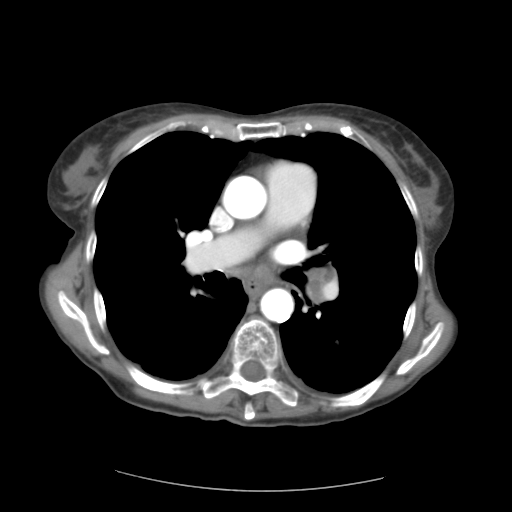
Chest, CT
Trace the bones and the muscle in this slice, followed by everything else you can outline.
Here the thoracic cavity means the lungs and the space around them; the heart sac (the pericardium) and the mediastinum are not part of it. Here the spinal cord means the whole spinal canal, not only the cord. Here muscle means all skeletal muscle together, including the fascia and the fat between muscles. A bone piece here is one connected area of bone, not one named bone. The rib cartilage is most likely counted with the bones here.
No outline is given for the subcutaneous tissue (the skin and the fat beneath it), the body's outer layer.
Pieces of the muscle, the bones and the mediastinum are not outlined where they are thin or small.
The bones appear in 10 outlined pieces: piece 1: [[252,318],[265,321],[279,338],[285,363],[283,377],[299,391],[294,406],[269,391],[249,396],[229,388],[210,398],[199,389],[190,395],[154,391],[136,383],[126,368],[129,362],[171,382],[226,374],[230,368],[222,358],[230,349],[234,331],[238,324]] with a hole at [[250,360],[256,360],[258,361],[259,363],[262,366],[264,370],[264,376],[261,379],[259,379],[255,381],[252,381],[251,380],[248,380],[246,379],[241,374],[241,368],[243,364],[247,361],[249,361]]; piece 2: [[180,119],[196,120],[201,124],[214,121],[233,125],[242,122],[278,121],[284,124],[294,121],[335,121],[356,130],[372,151],[340,133],[325,130],[309,131],[303,136],[291,134],[233,141],[210,137],[196,126],[187,125],[165,132],[125,155],[147,134]]; piece 3: [[383,371],[386,371],[386,376],[383,382],[377,389],[377,390],[365,402],[362,404],[360,405],[350,405],[349,406],[337,406],[336,407],[334,407],[330,405],[330,401],[327,398],[327,397],[342,395],[343,394],[346,394],[352,391],[354,391],[372,381]]; piece 4: [[61,290],[64,292],[70,300],[77,305],[84,312],[88,320],[90,329],[94,338],[100,344],[104,345],[108,349],[109,351],[108,354],[100,353],[90,343],[84,331],[83,326],[77,320],[68,316],[63,311],[60,306],[57,296],[58,292]]; piece 5: [[438,322],[442,322],[443,323],[443,330],[438,341],[433,348],[427,355],[418,360],[407,372],[404,374],[399,374],[398,375],[396,374],[396,370],[397,368],[405,360],[409,358],[411,358],[417,353],[421,345],[421,342],[423,338],[430,333],[435,325]]; piece 6: [[95,286],[97,287],[97,288],[101,293],[101,295],[103,299],[104,307],[105,308],[105,315],[106,316],[106,329],[104,332],[103,332],[100,328],[100,326],[98,323],[98,321],[96,317],[95,309],[94,308],[94,303],[93,302],[93,290]]; piece 7: [[397,181],[401,181],[403,182],[406,185],[409,191],[411,193],[412,195],[412,197],[415,202],[415,204],[417,208],[417,211],[418,212],[418,217],[417,219],[414,219],[413,218],[410,212],[410,210],[403,197],[403,195],[400,190],[400,188],[397,183]]; piece 8: [[414,300],[416,304],[416,308],[415,309],[415,318],[413,322],[413,325],[411,328],[411,330],[408,336],[405,340],[403,340],[403,331],[402,330],[402,328],[403,327],[403,323],[404,322],[404,319],[405,318],[407,310],[410,304],[412,302],[412,301]]; piece 9: [[94,228],[95,229],[95,232],[96,233],[96,244],[95,245],[95,251],[94,252],[94,255],[93,256],[93,260],[92,262],[88,263],[86,261],[86,258],[85,257],[85,249],[86,248],[86,243],[87,242],[87,239],[88,238],[88,236],[91,230]]; piece 10: [[105,176],[108,176],[108,180],[105,186],[105,188],[103,191],[103,193],[97,205],[95,207],[93,207],[92,208],[90,206],[90,203],[92,199],[92,196],[98,184],[100,182],[102,178]]. The muscle is outlined by [[182,113],[212,113],[229,117],[249,118],[258,120],[275,116],[282,116],[287,114],[329,115],[345,119],[375,138],[392,155],[398,165],[411,182],[413,190],[415,193],[415,196],[417,199],[417,202],[421,210],[424,221],[424,232],[427,237],[426,242],[427,245],[427,250],[426,251],[427,269],[430,274],[433,290],[437,299],[451,314],[454,321],[453,335],[449,344],[444,351],[430,365],[397,391],[385,397],[362,405],[358,408],[337,413],[326,413],[325,414],[317,414],[316,413],[311,415],[304,415],[297,417],[253,419],[255,417],[256,413],[254,410],[252,402],[250,400],[247,400],[245,402],[243,408],[243,418],[245,420],[226,413],[207,413],[196,410],[185,409],[170,404],[142,398],[133,393],[121,380],[98,366],[83,354],[62,333],[47,306],[44,296],[44,282],[47,273],[50,269],[59,264],[74,248],[79,240],[82,238],[86,220],[86,217],[82,214],[83,209],[87,205],[89,196],[94,185],[95,178],[107,166],[110,155],[114,147],[122,139],[135,129],[152,122],[155,122],[161,119]]; inner edges: [[180,119],[349,125],[395,181],[408,188],[422,252],[415,318],[384,367],[383,382],[362,404],[331,406],[327,397],[337,394],[313,389],[287,370],[283,377],[299,391],[294,406],[269,391],[249,396],[229,388],[210,398],[199,389],[190,395],[163,393],[139,385],[129,374],[127,362],[139,366],[120,350],[107,325],[102,331],[95,313],[93,263],[85,257],[97,208],[90,203],[102,178],[110,177],[128,150]], then [[61,290],[64,292],[70,300],[77,305],[84,312],[88,320],[90,329],[94,338],[100,344],[104,345],[108,349],[109,351],[108,354],[100,353],[90,343],[84,331],[83,326],[77,320],[68,316],[63,311],[60,306],[57,296],[58,292]], then [[438,322],[442,322],[443,323],[443,330],[438,341],[433,348],[427,355],[418,360],[407,372],[404,374],[399,374],[398,375],[396,374],[396,370],[397,368],[405,360],[409,358],[411,358],[417,353],[421,345],[421,342],[423,338],[430,333],[435,325]]. The torso is outlined by [[164,101],[245,114],[338,102],[411,128],[454,186],[451,227],[435,255],[439,290],[459,320],[445,359],[393,401],[321,428],[246,430],[226,420],[148,413],[118,398],[59,339],[39,303],[38,278],[73,234],[49,208],[46,180],[82,130],[118,111]]. The mediastinum appears in 2 outlined pieces: piece 1: [[208,222],[223,246],[274,262],[295,262],[303,256],[307,252],[309,227],[307,254],[287,272],[295,287],[291,291],[295,307],[280,324],[279,337],[262,318],[239,323],[248,303],[241,281],[235,277],[227,281],[222,272],[212,269],[202,258],[202,232]]; piece 2: [[249,150],[253,152],[263,152],[270,156],[277,157],[268,157],[257,164],[250,166],[244,169],[241,172],[232,176],[225,184],[219,198],[219,202],[213,213],[213,217],[211,217],[209,219],[212,210],[222,191],[227,178],[235,167],[237,162],[243,158]]. The pericardium is outlined by [[268,158],[284,158],[304,162],[313,168],[317,176],[315,202],[311,221],[305,235],[306,245],[304,249],[306,252],[295,261],[274,261],[268,259],[264,255],[245,254],[230,249],[219,241],[213,232],[209,221],[214,217],[214,213],[228,181],[235,175]]. The thoracic cavity is outlined by [[176,130],[252,143],[332,132],[390,172],[413,219],[417,277],[402,339],[376,377],[334,394],[286,370],[288,272],[308,254],[318,176],[304,161],[250,149],[200,240],[203,261],[247,297],[229,349],[183,381],[124,355],[94,276],[96,209],[126,156]]. The spinal cord is outlined by [[250,360],[256,360],[258,361],[259,363],[262,366],[264,370],[264,376],[261,379],[259,379],[255,381],[252,381],[251,380],[248,380],[246,379],[241,374],[241,368],[243,364],[247,361],[249,361]].